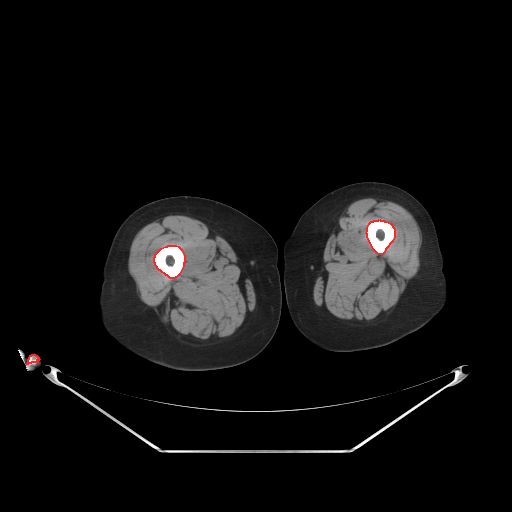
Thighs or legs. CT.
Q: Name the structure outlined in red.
A: red: bones.
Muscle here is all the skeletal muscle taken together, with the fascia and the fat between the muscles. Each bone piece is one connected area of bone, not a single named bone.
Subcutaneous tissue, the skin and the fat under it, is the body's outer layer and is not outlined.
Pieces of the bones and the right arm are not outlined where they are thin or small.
Outlined structures:
bones 1: [[168,245],[176,245],[178,246],[181,249],[184,255],[184,262],[183,263],[183,266],[179,274],[174,278],[170,278],[167,275],[166,275],[160,270],[159,270],[155,265],[155,263],[154,262],[154,257],[155,256],[155,254],[161,248],[165,246],[167,246]]
bones 2: [[379,219],[380,220],[383,220],[384,221],[386,221],[390,223],[394,228],[394,237],[392,241],[385,249],[384,252],[381,254],[377,253],[374,250],[367,237],[367,234],[366,233],[367,231],[367,227],[369,223],[371,221],[373,221],[374,220],[378,220]]
bones 3: [[32,354],[34,354],[35,355],[36,355],[38,357],[38,358],[39,359],[37,359],[36,360],[37,361],[38,361],[36,361],[35,362],[31,362],[30,363],[28,363],[27,364],[27,363],[28,362],[28,359],[29,358],[30,355],[31,355]]
muscle 1: [[167,215],[186,215],[205,223],[210,230],[213,230],[229,243],[248,274],[254,289],[257,308],[244,329],[232,337],[209,345],[194,346],[182,343],[176,339],[152,309],[140,300],[136,291],[135,282],[128,271],[129,249],[133,238],[142,227],[157,218]] with a hole at [[168,245],[176,245],[178,246],[181,249],[184,255],[184,262],[183,263],[183,266],[179,274],[174,278],[170,278],[167,275],[166,275],[160,270],[159,270],[155,265],[155,263],[154,262],[154,257],[155,256],[155,254],[161,248],[165,246],[167,246]]
muscle 2: [[366,197],[395,202],[411,213],[421,231],[422,242],[419,250],[420,265],[416,275],[408,282],[405,290],[392,309],[391,313],[371,325],[351,325],[341,323],[315,305],[313,301],[313,286],[318,270],[323,262],[325,244],[339,217],[345,208],[353,201]]; inner edge: [[379,219],[380,220],[383,220],[384,221],[386,221],[390,223],[394,228],[394,237],[392,241],[385,249],[384,252],[381,254],[377,253],[374,250],[367,237],[367,234],[366,233],[367,231],[367,227],[369,223],[371,221],[373,221],[374,220],[378,220]]
left leg: [[361,181],[385,182],[398,186],[413,195],[426,208],[434,222],[438,235],[444,263],[443,271],[447,282],[447,300],[441,311],[428,323],[395,342],[360,351],[330,351],[309,341],[297,329],[290,317],[284,289],[283,247],[298,219],[311,205],[334,189]]
right leg: [[180,195],[199,196],[225,203],[262,225],[276,243],[278,251],[277,265],[281,284],[279,323],[266,347],[255,357],[241,364],[204,371],[185,371],[164,367],[123,347],[106,332],[101,323],[99,295],[102,271],[117,229],[128,215],[142,205],[160,198]]
right arm: [[33,352],[35,352],[37,353],[40,356],[40,358],[41,359],[41,364],[39,367],[35,369],[33,369],[32,370],[27,370],[25,366],[25,364],[24,363],[26,361],[26,360],[27,362],[28,361],[28,359],[30,355]]